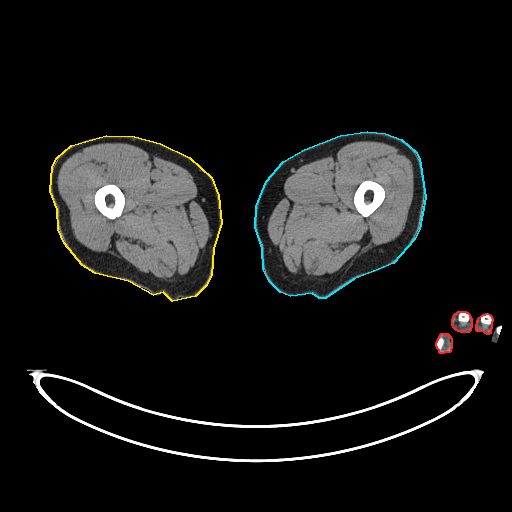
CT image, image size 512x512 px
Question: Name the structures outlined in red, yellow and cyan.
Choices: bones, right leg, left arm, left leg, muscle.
Answer: red: left arm; yellow: right leg; cyan: left leg.
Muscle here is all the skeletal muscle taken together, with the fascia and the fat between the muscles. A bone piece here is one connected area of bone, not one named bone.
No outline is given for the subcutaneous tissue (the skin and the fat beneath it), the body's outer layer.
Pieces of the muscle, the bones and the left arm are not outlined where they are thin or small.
Outlined structures:
left arm 1: (458, 311) (465, 311) (466, 312) (467, 312) (469, 314) (469, 315) (471, 318) (471, 327) (470, 328) (470, 330) (468, 332) (461, 332) (460, 331) (458, 331) (457, 330) (456, 330) (453, 327) (453, 326) (452, 325) (452, 319) (453, 318) (453, 316) (454, 315) (454, 314)
left arm 2: (486, 313) (489, 314) (491, 316) (491, 317) (492, 318) (492, 321) (491, 322) (491, 328) (490, 329) (490, 333) (489, 333) (488, 334) (487, 334) (482, 331) (477, 331) (476, 330) (476, 324) (477, 323) (477, 320) (478, 319) (478, 318) (483, 314) (485, 314)
left arm 3: (441, 333) (447, 333) (450, 336) (450, 337) (451, 338) (451, 348) (450, 349) (450, 351) (449, 352) (444, 352) (443, 353) (440, 353) (439, 352) (439, 350) (437, 348) (437, 347) (436, 346) (436, 342) (437, 341) (437, 340) (438, 339) (438, 338) (439, 337) (439, 336)
right leg: (106, 135) (134, 136) (160, 143) (189, 157) (211, 177) (218, 195) (221, 223) (213, 248) (211, 275) (205, 286) (195, 296) (172, 301) (163, 292) (153, 295) (128, 281) (95, 273) (82, 265) (64, 243) (58, 229) (57, 209) (50, 191) (52, 166) (57, 157) (71, 145)
left leg: (367, 131) (385, 133) (401, 139) (415, 151) (419, 158) (425, 197) (419, 229) (414, 239) (393, 263) (353, 279) (325, 298) (319, 298) (312, 293) (290, 296) (280, 292) (269, 281) (263, 269) (262, 248) (255, 227) (256, 206) (266, 181) (283, 161) (304, 149) (340, 135)
muscle 1: (106, 142) (121, 142) (138, 146) (182, 165) (193, 176) (199, 191) (208, 205) (211, 238) (193, 274) (189, 278) (172, 282) (156, 278) (139, 271) (124, 259) (106, 253) (94, 252) (75, 238) (70, 224) (69, 210) (58, 190) (58, 173) (65, 160) (75, 151) (89, 144); inner edge: (110, 183) (112, 183) (113, 184) (117, 185) (123, 192) (124, 196) (125, 197) (125, 204) (124, 205) (122, 213) (120, 216) (114, 219) (110, 219) (106, 217) (104, 215) (103, 215) (97, 209) (95, 205) (95, 203) (94, 202) (94, 195) (97, 189) (105, 184) (109, 184)
muscle 2: (359, 139) (372, 139) (390, 143) (403, 150) (411, 161) (413, 169) (413, 197) (406, 223) (400, 237) (381, 250) (364, 253) (346, 272) (316, 285) (304, 285) (285, 279) (281, 273) (274, 246) (267, 232) (267, 223) (283, 179) (294, 167) (322, 156) (339, 146), around a hole outlined by (364, 180) (372, 180) (373, 181) (375, 181) (379, 183) (383, 187) (385, 191) (385, 197) (382, 203) (371, 214) (370, 214) (367, 217) (364, 217) (357, 211) (354, 205) (354, 203) (353, 202) (353, 196) (354, 195) (355, 190) (357, 188) (359, 184) (362, 181)
bones 1: (364, 180) (372, 180) (373, 181) (375, 181) (379, 183) (383, 187) (385, 191) (385, 197) (382, 203) (371, 214) (370, 214) (367, 217) (364, 217) (357, 211) (354, 205) (354, 203) (353, 202) (353, 196) (354, 195) (355, 190) (357, 188) (359, 184) (362, 181)
bones 2: (110, 183) (112, 183) (113, 184) (117, 185) (123, 192) (124, 196) (125, 197) (125, 204) (124, 205) (122, 213) (120, 216) (114, 219) (110, 219) (106, 217) (104, 215) (103, 215) (97, 209) (95, 205) (95, 203) (94, 202) (94, 195) (97, 189) (105, 184) (109, 184)
bones 3: (461, 311) (465, 311) (466, 312) (467, 312) (469, 314) (469, 319) (468, 320) (468, 321) (467, 322) (460, 322) (458, 320) (458, 315) (459, 314) (459, 313)
bones 4: (486, 313) (487, 313) (488, 314) (489, 314) (491, 316) (491, 317) (492, 318) (492, 321) (491, 322) (491, 323) (490, 324) (484, 324) (483, 323) (482, 323) (481, 322) (481, 320) (480, 319) (480, 317) (483, 314) (485, 314)